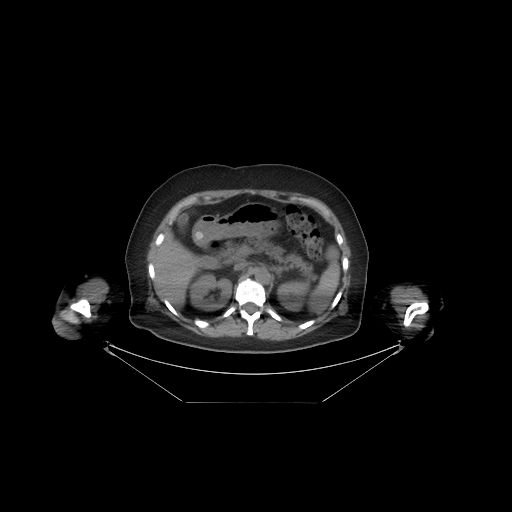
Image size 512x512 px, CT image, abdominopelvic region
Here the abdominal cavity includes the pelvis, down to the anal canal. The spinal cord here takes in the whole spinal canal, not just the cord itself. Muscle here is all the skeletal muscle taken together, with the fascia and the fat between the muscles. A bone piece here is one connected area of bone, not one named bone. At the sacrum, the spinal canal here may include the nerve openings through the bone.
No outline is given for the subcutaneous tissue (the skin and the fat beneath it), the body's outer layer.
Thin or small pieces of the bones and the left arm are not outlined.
The abdominal cavity is outlined by [[241,194],[303,204],[331,224],[341,253],[342,276],[339,289],[323,313],[302,322],[282,317],[264,305],[266,289],[251,277],[236,283],[233,294],[236,304],[208,319],[185,316],[164,298],[158,287],[154,264],[158,247],[176,216],[192,205],[214,204]]. The muscle appears in 4 outlined pieces: piece 1: [[240,188],[299,192],[321,200],[333,211],[342,225],[351,251],[351,279],[347,295],[348,309],[345,314],[338,315],[322,326],[296,338],[263,341],[251,336],[254,334],[254,322],[263,311],[279,322],[283,318],[300,322],[297,328],[303,330],[311,326],[315,318],[328,308],[333,309],[342,297],[343,292],[340,287],[343,273],[348,270],[349,260],[345,255],[342,256],[340,249],[344,242],[342,235],[339,232],[335,233],[332,224],[313,207],[299,202],[280,201],[250,193],[241,193],[218,202],[203,204],[192,204],[198,200],[196,196],[192,196],[179,203],[168,217],[167,222],[170,227],[167,235],[165,237],[165,234],[160,232],[154,240],[157,246],[155,262],[147,264],[148,276],[152,280],[155,279],[163,297],[163,303],[175,316],[180,313],[193,319],[197,327],[204,329],[210,324],[207,320],[220,315],[225,318],[237,310],[240,317],[246,321],[248,336],[201,336],[179,325],[158,310],[151,312],[146,310],[145,302],[148,296],[146,255],[153,234],[166,213],[175,203],[192,193]]; piece 2: [[92,278],[103,279],[109,287],[109,290],[106,294],[106,298],[102,304],[98,317],[89,324],[82,324],[77,326],[74,324],[67,323],[61,317],[58,317],[59,311],[62,310],[69,303],[69,300],[74,296],[77,286],[81,282],[88,281]] with a hole at [[81,298],[85,298],[89,302],[89,303],[90,304],[90,312],[91,313],[91,316],[88,318],[87,317],[85,317],[79,312],[77,312],[74,310],[72,310],[70,308],[70,305],[72,303],[73,303],[74,302],[76,302],[79,299],[80,299]]; piece 3: [[396,286],[416,286],[427,296],[429,303],[426,300],[413,301],[406,307],[402,319],[402,325],[407,328],[411,325],[413,319],[417,315],[422,315],[429,311],[430,320],[425,328],[419,330],[402,329],[399,324],[396,311],[391,305],[390,300],[390,292]]; piece 4: [[187,205],[191,205],[190,205],[189,206],[187,206],[186,207],[185,207],[184,208],[183,208],[179,212],[179,211],[184,206],[186,206]]. The torso is outlined by [[207,163],[230,166],[257,163],[295,165],[325,177],[346,195],[358,218],[369,252],[361,324],[352,336],[289,352],[227,353],[170,342],[158,338],[148,331],[139,329],[130,322],[128,318],[130,295],[124,257],[135,220],[148,196],[166,179],[185,168]]. The bones appear in 12 outlined pieces: piece 1: [[245,278],[251,278],[263,285],[266,298],[263,305],[273,309],[282,318],[279,321],[263,310],[260,316],[253,322],[253,334],[250,336],[247,334],[247,321],[241,317],[237,309],[225,317],[221,315],[230,306],[238,303],[234,298],[235,289],[237,283]]; inner edge: [[248,302],[251,302],[252,303],[253,303],[257,307],[257,309],[255,311],[254,311],[252,313],[248,313],[243,308],[243,306],[246,303],[247,303]]; piece 2: [[415,301],[426,301],[429,304],[429,309],[426,312],[422,314],[417,314],[412,319],[410,323],[410,325],[406,327],[403,325],[403,319],[405,315],[405,312],[406,311],[406,309],[407,307],[410,304],[411,304]]; piece 3: [[81,298],[85,298],[89,302],[89,303],[90,304],[90,312],[91,313],[91,316],[88,318],[87,317],[85,317],[79,312],[77,312],[74,310],[72,310],[70,308],[70,305],[72,303],[73,303],[74,302],[76,302],[79,299],[80,299]]; piece 4: [[192,197],[196,197],[197,198],[197,200],[194,203],[184,205],[178,211],[178,213],[175,216],[175,218],[173,220],[172,223],[171,224],[169,224],[168,222],[169,220],[169,217],[172,213],[172,212],[176,208],[176,207],[179,204],[186,201],[188,199]]; piece 5: [[197,318],[198,319],[201,319],[202,320],[206,320],[209,323],[209,324],[206,327],[205,327],[204,328],[200,328],[198,326],[197,326],[194,323],[194,319],[196,319]]; piece 6: [[340,289],[342,292],[341,293],[341,297],[339,299],[339,300],[338,301],[338,302],[336,304],[336,305],[333,308],[330,308],[330,306],[331,305],[331,304],[332,303],[332,302],[333,301],[333,300],[334,299],[334,298],[335,297],[336,294]]; piece 7: [[149,263],[152,263],[153,264],[153,265],[154,266],[154,271],[155,272],[155,278],[154,279],[152,279],[149,276],[149,274],[148,273],[148,264]]; piece 8: [[311,319],[314,319],[314,322],[311,325],[310,325],[309,326],[308,326],[307,327],[306,327],[303,329],[299,329],[298,328],[298,325],[299,324],[300,324],[301,323],[302,323],[305,321],[307,321],[308,320],[310,320]]; piece 9: [[343,256],[345,256],[347,258],[347,259],[348,260],[348,267],[347,268],[347,270],[345,272],[343,272],[343,270],[342,269],[342,257]]; piece 10: [[164,299],[166,299],[169,302],[169,303],[178,312],[178,315],[175,315],[166,306],[166,305],[164,303]]; piece 11: [[160,233],[163,233],[164,234],[164,238],[163,239],[163,240],[162,241],[162,242],[158,246],[157,245],[156,245],[155,244],[155,240],[156,239],[156,238],[157,237],[157,236]]; piece 12: [[337,233],[339,233],[341,235],[341,236],[342,237],[342,238],[343,239],[343,242],[342,243],[342,244],[341,245],[339,245],[338,244],[338,243],[337,242],[337,241],[336,240],[336,236],[335,235]]. The right arm is outlined by [[88,270],[98,270],[104,272],[113,277],[120,284],[124,294],[123,303],[121,309],[109,320],[98,333],[94,335],[88,335],[76,340],[69,340],[62,338],[54,331],[51,325],[51,317],[52,316],[54,305],[65,283],[74,275],[80,272],[83,272]]. The spinal cord is outlined by [[248,302],[251,302],[252,303],[253,303],[257,307],[257,309],[255,311],[254,311],[252,313],[248,313],[243,308],[243,306],[246,303],[247,303]]. The left arm is outlined by [[410,279],[421,279],[432,283],[440,292],[444,300],[443,309],[440,312],[435,313],[432,316],[431,320],[434,331],[432,336],[422,341],[414,341],[410,339],[398,337],[383,322],[372,318],[369,312],[370,304],[374,295],[382,287],[392,282]].